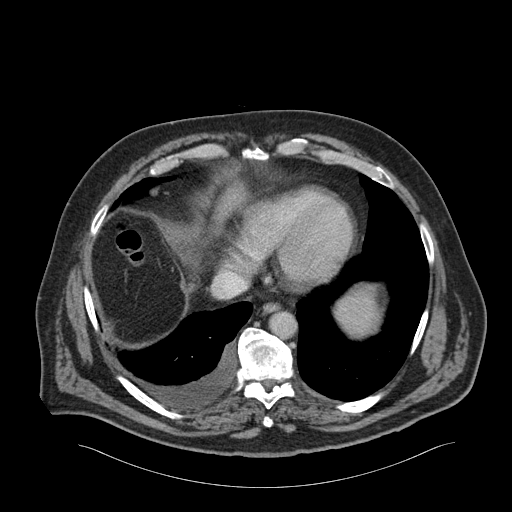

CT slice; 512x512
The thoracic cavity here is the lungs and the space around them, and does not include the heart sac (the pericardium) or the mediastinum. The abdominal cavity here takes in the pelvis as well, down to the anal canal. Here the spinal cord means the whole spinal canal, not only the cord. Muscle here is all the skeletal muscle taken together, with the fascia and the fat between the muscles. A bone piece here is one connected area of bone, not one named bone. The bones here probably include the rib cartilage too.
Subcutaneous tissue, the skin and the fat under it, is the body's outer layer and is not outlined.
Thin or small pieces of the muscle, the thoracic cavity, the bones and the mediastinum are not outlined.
The abdominal cavity appears in 2 outlined pieces: piece 1: 229,151 240,151 244,159 269,159 271,173 235,211 214,271 202,284 204,310 188,314 159,341 141,349 119,350 115,356 100,330 90,291 92,248 108,212 130,202 162,212 205,178 202,169 187,160 226,157; piece 2: 364,280 368,280 369,281 384,280 387,284 387,289 390,296 390,299 380,331 377,334 369,337 365,340 362,341 354,341 348,339 338,328 332,317 332,315 330,312 330,308 332,304 350,286 356,282 359,282. The pericardium is outlined by 277,168 300,168 325,174 355,187 364,217 365,231 359,252 345,262 337,275 329,283 315,287 303,295 297,302 290,302 267,287 256,284 251,286 246,281 224,271 214,272 222,240 236,211 260,188 272,171. The muscle is outlined by 233,130 247,132 256,138 276,131 292,134 313,132 335,137 360,149 365,154 380,162 393,173 408,189 419,205 420,212 427,219 438,242 438,247 445,269 445,283 447,290 446,309 449,327 455,333 460,326 460,308 455,294 458,296 461,302 467,319 467,327 469,331 467,358 463,370 447,386 436,394 419,402 414,403 396,413 386,416 363,427 349,431 322,431 310,428 306,423 300,421 294,431 287,432 277,426 273,426 274,425 273,419 268,414 266,414 261,421 262,425 265,427 257,435 249,438 231,437 229,433 202,436 174,435 147,426 102,405 88,401 69,393 62,392 58,389 55,380 56,313 58,309 59,301 63,295 62,291 66,284 67,275 76,260 77,253 75,249 76,246 82,237 92,212 103,195 110,188 115,180 124,173 135,160 142,156 145,156 155,147 169,140 188,134 199,132 218,132 219,131 221,132 with a hole at 294,137 309,141 305,152 296,156 317,160 310,151 325,148 380,166 390,176 394,192 416,224 425,224 432,239 434,260 428,267 425,303 428,318 419,344 378,390 385,394 360,412 336,408 339,400 311,388 296,370 289,380 295,395 279,398 269,409 256,398 246,398 242,389 235,392 235,379 215,401 181,412 182,418 159,414 132,396 116,378 118,374 125,377 126,373 106,345 102,332 96,331 89,319 83,286 90,288 95,240 90,234 92,219 104,204 111,206 125,189 148,176 150,165 162,157 207,142 238,152 256,144 271,156 278,156 276,145. The bones appear in 12 outlined pieces: piece 1: 247,327 261,328 276,336 289,346 294,358 293,368 295,375 289,380 295,395 293,397 284,396 279,398 269,409 256,398 246,398 243,395 242,389 234,391 237,384 236,372 240,366 237,353 238,337 242,330; inner edge: 265,379 273,379 274,380 275,380 276,381 277,381 277,384 276,384 275,385 274,385 272,387 272,388 269,391 267,391 265,389 265,388 262,385 262,384 260,382 260,381 261,381 262,380 264,380; piece 2: 321,148 332,149 344,153 347,155 356,157 361,160 369,162 372,164 380,166 390,176 395,185 394,189 393,190 373,180 367,175 351,167 342,164 328,164 320,161 316,156 312,155 310,151 311,150 315,150; piece 3: 207,142 214,142 223,145 228,150 229,152 228,155 226,156 216,156 215,157 196,157 190,159 183,158 179,165 170,169 168,171 155,176 149,175 149,167 156,160 162,157 165,157 167,155 179,152 187,148; piece 4: 118,374 120,374 126,377 144,393 155,400 158,403 161,404 166,409 172,411 175,411 184,415 184,416 182,418 179,419 171,419 166,416 159,414 157,412 150,409 137,400 126,390 126,389 116,378 116,375; piece 5: 378,391 384,391 385,392 385,394 375,404 366,410 364,410 360,412 357,412 356,413 351,413 350,412 342,411 336,408 335,406 336,404 338,403 338,402 349,402 350,401 359,400 371,394 373,394; piece 6: 294,137 300,137 301,138 305,138 309,141 309,144 305,149 305,152 304,153 300,153 299,154 296,154 295,155 279,155 276,153 275,151 275,148 276,147 276,145 278,143 289,140 291,138 293,138; piece 7: 420,222 423,222 425,224 432,239 432,242 433,243 433,253 434,254 434,260 431,266 429,266 428,264 428,261 427,260 426,254 425,253 425,249 424,248 424,246 421,239 420,231 418,227 418,224; piece 8: 84,285 86,285 88,287 89,291 91,294 91,297 93,301 93,305 95,310 95,314 96,315 97,321 99,325 99,330 98,331 96,331 94,329 89,319 89,317 85,307 84,296 83,295 83,286; piece 9: 426,306 428,307 428,318 427,319 427,322 426,323 426,325 425,326 422,337 419,342 419,344 417,346 413,354 412,355 409,355 410,348 412,344 412,341 413,340 415,332 417,329 418,324 420,321 422,313; piece 10: 254,144 258,145 264,150 268,151 269,152 270,155 269,156 269,158 267,160 259,160 258,159 254,159 253,158 244,158 242,156 241,154 241,149 243,147 245,147 246,146 248,146 249,147 252,147 254,145; piece 11: 106,203 107,203 110,205 110,206 109,207 109,209 108,210 108,211 102,222 102,224 101,225 101,226 99,228 95,237 94,237 90,234 90,225 91,224 92,219 95,215 96,212 104,204 105,204; piece 12: 266,415 268,415 272,419 272,420 273,421 273,425 272,426 271,426 270,427 266,427 265,426 264,426 263,425 263,424 262,423 262,421 263,420 263,418. The torso is outlined by 260,109 309,109 361,120 395,138 426,169 448,208 486,307 485,341 469,392 453,406 400,431 340,449 276,458 188,451 141,438 93,417 52,414 39,395 35,303 61,212 84,172 110,145 139,128 182,118. The thoracic cavity appears in 3 outlined pieces: piece 1: 361,174 394,191 412,215 428,265 428,289 425,306 408,354 397,372 377,391 359,399 340,401 311,388 294,368 294,355 297,352 299,337 296,305 315,288 330,284 346,262 362,250 368,223 369,202 360,183, around a hole outlined by 364,280 368,280 369,281 384,280 387,284 387,289 390,296 390,299 380,331 377,334 369,337 365,340 362,341 354,341 348,339 338,328 332,317 332,315 330,312 330,308 332,304 350,286 356,282 359,282; piece 2: 238,302 249,302 251,304 251,313 237,333 236,353 239,366 231,385 215,401 192,411 180,412 168,409 144,392 126,376 126,373 116,358 117,352 136,351 147,348 167,337 188,315 199,311 214,311; piece 3: 169,176 173,177 171,180 156,183 148,190 148,192 146,194 138,198 136,198 133,201 130,201 127,203 121,203 118,205 117,207 109,211 110,207 120,194 125,189 134,183 138,182 141,179 147,177 168,177. The spinal cord is outlined by 265,379 273,379 274,380 275,380 276,381 277,381 277,384 276,384 275,385 274,385 272,387 272,388 269,391 267,391 265,389 265,388 262,385 262,384 260,382 260,381 261,381 262,380 264,380. The mediastinum appears in 3 outlined pieces: piece 1: 211,272 224,272 246,282 251,287 256,285 267,288 290,303 296,303 298,337 295,355 287,343 261,327 247,326 241,330 238,336 239,331 252,313 252,304 249,301 238,301 214,310 205,310 205,289 203,284; piece 2: 183,159 198,166 201,169 204,175 204,178 201,182 192,186 179,200 162,211 157,211 145,207 134,201 146,195 149,192 149,190 156,184 171,181 174,178 173,176 170,175 156,176 168,172 179,166 182,163; piece 3: 270,156 299,156 305,158 313,158 324,164 342,165 361,173 359,175 359,183 364,190 365,196 368,202 366,229 365,228 365,217 362,202 355,186 333,175 321,173 300,167 289,167 288,168 277,167 271,171.